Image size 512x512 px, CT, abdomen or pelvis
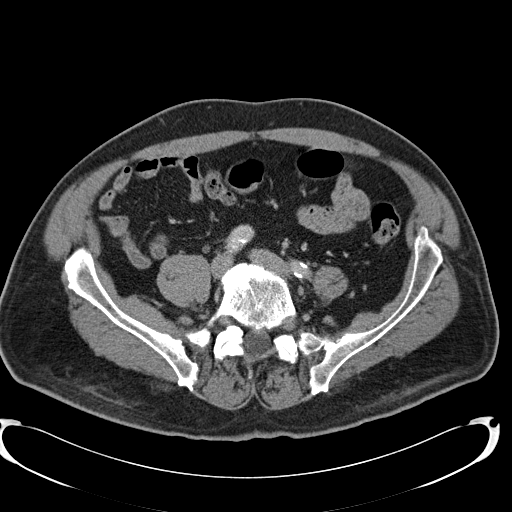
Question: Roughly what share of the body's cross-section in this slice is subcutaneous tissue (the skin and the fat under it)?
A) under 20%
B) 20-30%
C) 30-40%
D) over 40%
Answer: C) 30-40%
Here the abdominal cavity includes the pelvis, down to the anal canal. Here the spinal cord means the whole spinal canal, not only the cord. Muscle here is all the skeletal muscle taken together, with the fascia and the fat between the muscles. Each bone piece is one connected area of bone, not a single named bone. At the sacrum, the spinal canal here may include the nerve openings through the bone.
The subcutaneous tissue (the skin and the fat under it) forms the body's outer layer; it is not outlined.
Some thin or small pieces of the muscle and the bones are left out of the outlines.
The muscle appears in 4 outlined pieces: piece 1: [[282,127],[324,129],[362,140],[408,164],[439,187],[451,203],[461,234],[453,261],[461,301],[451,322],[403,357],[328,395],[339,368],[381,338],[421,300],[444,257],[428,228],[420,225],[413,239],[407,289],[383,321],[366,330],[346,331],[335,339],[304,329],[296,338],[287,330],[298,315],[307,326],[334,332],[346,327],[359,312],[379,312],[397,295],[410,257],[406,230],[415,200],[400,175],[373,157],[256,137],[203,152],[147,155],[120,165],[91,202],[91,223],[99,235],[97,258],[120,296],[137,295],[174,322],[189,318],[195,326],[205,323],[184,336],[201,348],[212,341],[216,360],[227,356],[256,360],[274,354],[295,364],[299,352],[308,356],[322,349],[321,360],[308,370],[312,397],[278,410],[266,409],[253,397],[244,406],[228,410],[195,396],[200,367],[187,354],[182,339],[123,311],[102,284],[93,255],[83,245],[64,261],[67,287],[160,355],[177,378],[177,387],[166,389],[139,372],[95,355],[70,321],[57,263],[48,257],[42,241],[60,195],[101,165],[152,144],[223,130]]; inner edge: [[250,369],[251,370],[252,370],[252,371],[253,372],[253,373],[253,374],[253,375],[252,376],[252,377],[251,378],[250,379],[249,379],[248,378],[247,377],[247,376],[247,375],[248,374],[248,373],[248,372],[248,371],[249,370]]; piece 2: [[176,254],[186,254],[187,255],[189,254],[196,254],[197,255],[201,255],[205,258],[209,265],[210,275],[211,276],[209,295],[207,299],[206,299],[204,302],[199,305],[195,309],[180,307],[172,303],[162,295],[157,286],[156,278],[162,262],[166,258]]; piece 3: [[322,265],[334,266],[339,268],[345,275],[348,281],[347,283],[347,288],[345,291],[341,295],[333,299],[330,302],[326,304],[323,304],[321,303],[321,301],[312,290],[312,283],[311,282],[312,281],[312,278],[314,276],[314,273],[316,270]]; piece 4: [[216,323],[218,323],[222,327],[219,330],[218,330],[214,334],[214,335],[213,335],[213,334],[212,333],[212,331],[210,329],[210,328],[211,328],[212,327],[213,327],[215,325],[215,324]]. The torso is outlined by [[287,97],[334,101],[378,120],[421,148],[449,179],[480,244],[497,311],[499,341],[488,371],[476,381],[353,428],[299,439],[240,441],[194,440],[128,427],[18,383],[0,356],[0,294],[32,218],[58,180],[94,148],[169,106],[201,98],[265,101]]. The spinal cord is outlined by [[263,329],[265,329],[268,332],[269,332],[269,334],[271,337],[271,343],[272,344],[271,345],[271,347],[269,349],[262,352],[255,357],[253,357],[251,355],[247,353],[243,345],[244,343],[244,336],[246,332],[248,330],[251,330],[255,333],[258,334]]. The abdominal cavity is outlined by [[256,138],[370,157],[403,180],[414,200],[405,230],[409,257],[398,292],[379,311],[359,311],[334,331],[316,329],[298,314],[288,281],[254,261],[224,271],[219,303],[198,325],[118,293],[98,258],[92,223],[92,202],[110,176],[147,156],[203,153]], around a hole outlined by [[176,254],[186,254],[187,255],[189,254],[196,254],[197,255],[201,255],[205,258],[209,265],[210,275],[211,276],[209,295],[207,299],[206,299],[204,302],[199,305],[195,309],[180,307],[172,303],[162,295],[157,286],[156,278],[162,262],[166,258]]. The bones appear in 2 outlined pieces: piece 1: [[422,225],[443,262],[327,392],[312,396],[309,386],[322,348],[299,351],[295,363],[274,353],[220,360],[212,340],[201,347],[185,336],[206,324],[222,275],[239,262],[287,281],[297,316],[286,331],[296,339],[301,330],[333,340],[369,330],[403,300]], around holes outlined by [[263,329],[265,329],[268,332],[269,332],[269,334],[271,337],[271,343],[272,344],[271,345],[271,347],[269,349],[262,352],[255,357],[253,357],[251,355],[247,353],[243,345],[244,343],[244,336],[246,332],[248,330],[251,330],[255,333],[258,334]] and by [[216,323],[218,323],[222,327],[219,330],[218,330],[214,334],[214,335],[213,335],[213,334],[212,333],[212,331],[210,329],[210,328],[211,328],[212,327],[213,327],[215,325],[215,324]]; piece 2: [[81,246],[85,247],[91,253],[101,284],[114,303],[123,312],[153,329],[181,339],[186,354],[199,367],[197,380],[193,385],[192,392],[186,387],[177,384],[177,375],[160,354],[138,337],[116,325],[101,310],[68,287],[64,264],[69,255]].